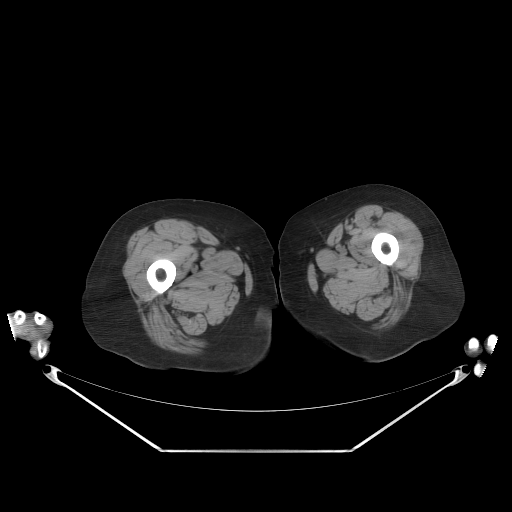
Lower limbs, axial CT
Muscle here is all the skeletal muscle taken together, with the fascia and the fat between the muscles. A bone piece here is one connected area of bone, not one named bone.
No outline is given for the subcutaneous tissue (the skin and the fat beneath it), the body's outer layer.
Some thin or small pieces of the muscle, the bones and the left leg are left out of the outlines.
The left arm is outlined by 490,334 494,334 497,339 492,351 489,354 483,352 479,356 479,358 485,362 484,364 485,367 482,373 480,375 477,375 474,371 474,367 478,362 477,358 468,357 464,353 463,344 465,341 472,337 481,341. The muscle appears in 3 outlined pieces: piece 1: 162,218 185,219 201,225 215,236 239,248 252,262 254,281 249,298 229,317 217,339 205,350 205,352 199,355 182,354 166,350 149,341 137,312 136,304 122,274 122,266 126,258 126,244 131,234 141,227; inner edge: 159,258 167,258 169,259 174,263 175,265 175,267 176,268 176,274 175,275 175,278 172,284 163,293 161,294 157,294 156,292 150,286 150,285 148,283 146,279 146,270 147,268 153,261; piece 2: 365,204 378,204 401,212 415,223 422,234 424,242 421,254 421,272 419,279 413,288 410,306 403,317 389,331 379,335 367,332 340,317 312,293 307,281 307,267 318,250 317,248 326,239 335,225 356,208 with a hole at 382,231 388,232 394,235 396,237 398,241 398,244 399,245 399,253 398,254 398,256 396,260 392,265 386,265 385,264 381,263 374,256 374,255 371,251 371,241 374,235 376,233 378,232 381,232; piece 3: 26,315 31,316 32,315 34,322 38,326 42,326 46,320 50,324 50,329 45,336 46,340 39,338 36,342 36,355 33,352 34,342 27,335 16,333 12,321 13,316 15,322 21,325 24,323 26,319. The bones appear in 8 outlined pieces: piece 1: 159,258 167,258 169,259 174,263 175,265 175,267 176,268 176,274 175,275 175,278 172,284 163,293 161,294 157,294 156,292 150,286 150,285 148,283 146,279 146,270 147,268 153,261; piece 2: 382,231 388,232 394,235 396,237 398,241 398,244 399,245 399,253 398,254 398,256 396,260 392,265 386,265 385,264 381,263 374,256 374,255 371,251 371,241 374,235 376,233 378,232 381,232; piece 3: 39,339 42,339 43,340 44,340 45,341 46,341 47,342 47,343 48,344 48,348 47,349 47,351 46,352 46,353 45,354 45,355 44,355 42,357 39,357 37,355 37,342 38,341 38,340; piece 4: 17,310 20,310 21,311 22,311 25,313 25,319 24,320 24,321 23,322 23,323 22,323 21,324 20,324 19,323 17,323 16,322 16,321 14,318 14,316 13,315 12,316 12,315; piece 5: 490,334 494,334 496,336 496,338 497,339 496,340 496,342 495,343 495,344 494,345 494,347 493,348 493,349 492,350 492,351 490,351 488,349 488,348 487,347 487,338 488,337 488,336; piece 6: 472,337 474,337 475,338 476,338 478,340 478,342 479,343 479,346 478,347 478,348 475,351 472,351 471,350 470,350 469,349 469,348 468,347 468,341 469,340 469,339 470,338 471,338; piece 7: 36,312 38,312 39,313 40,313 41,314 43,314 45,316 45,317 46,318 46,319 45,320 45,321 44,322 44,323 42,325 38,325 35,322 35,321 34,320 34,315 35,314 35,313; piece 8: 478,362 479,362 480,363 481,363 482,364 483,364 485,366 485,367 484,368 484,369 483,370 483,371 482,372 482,373 480,375 477,375 475,373 475,372 474,371 474,367 475,366 475,365. The right leg is outlined by 176,197 209,200 240,209 263,227 272,244 274,250 273,275 279,299 272,324 275,348 270,358 258,368 237,375 217,375 176,368 151,369 100,348 84,328 80,315 80,298 87,271 109,227 120,215 136,205. The right arm is outlined by 17,310 23,312 35,310 45,316 49,316 54,322 54,329 50,337 50,351 40,360 33,360 29,354 29,343 26,340 17,338 21,334 15,332 12,318 10,318 10,315 11,317 12,316 11,313. The left leg is outlined by 366,183 384,183 403,188 419,197 433,210 445,230 458,263 465,288 464,307 454,324 437,337 423,341 406,352 381,362 352,361 334,357 326,353 286,312 278,292 278,241 287,220 301,208 326,195 348,187.